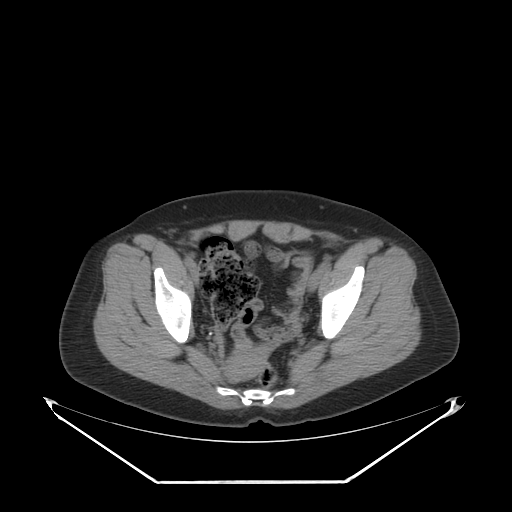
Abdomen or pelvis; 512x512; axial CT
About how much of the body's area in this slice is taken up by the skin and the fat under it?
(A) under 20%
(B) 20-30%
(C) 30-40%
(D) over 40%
Answer: (C) 30-40%
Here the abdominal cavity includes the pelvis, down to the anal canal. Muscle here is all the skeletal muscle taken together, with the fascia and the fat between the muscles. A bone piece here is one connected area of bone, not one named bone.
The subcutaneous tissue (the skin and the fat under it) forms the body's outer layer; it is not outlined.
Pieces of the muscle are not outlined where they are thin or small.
Outlined structures:
abdominal cavity: 257 229; 280 244; 319 237; 323 239; 321 245; 324 248; 345 247; 319 280; 317 296; 320 316; 314 335; 288 360; 283 386; 271 390; 230 385; 218 361; 195 337; 192 318; 194 280; 177 251; 197 239; 214 234; 225 234; 238 243
muscle: 233 219; 289 221; 350 239; 381 235; 401 244; 417 268; 412 288; 421 316; 420 343; 405 359; 376 374; 300 406; 273 411; 260 406; 216 408; 115 367; 99 351; 92 323; 102 292; 101 263; 107 249; 136 233; 170 240; 189 229; inner edge: 257 229; 280 244; 319 237; 324 248; 345 247; 321 275; 320 303; 348 281; 357 265; 365 271; 358 300; 338 333; 324 337; 319 322; 314 335; 288 360; 281 388; 295 392; 277 395; 265 406; 260 400; 246 406; 237 395; 216 391; 217 386; 234 387; 195 337; 192 318; 185 342; 167 331; 155 306; 153 270; 161 267; 169 283; 185 291; 192 303; 194 280; 177 251; 214 234; 238 243
torso: 241 188; 282 188; 318 194; 370 210; 403 230; 432 259; 455 310; 460 329; 455 357; 430 375; 368 405; 333 417; 284 426; 261 420; 245 427; 180 421; 124 404; 74 380; 60 359; 58 329; 78 267; 90 245; 162 203; 200 193
bones 1: 159 266; 163 269; 165 276; 169 283; 171 285; 185 291; 188 294; 192 303; 192 307; 191 308; 191 320; 189 326; 189 333; 188 334; 187 340; 183 343; 177 342; 167 331; 160 318; 160 316; 157 312; 155 306; 153 270; 154 268
bones 2: 357 265; 363 266; 365 270; 364 272; 364 277; 362 282; 362 288; 358 300; 352 312; 338 333; 331 339; 326 338; 324 337; 322 333; 322 330; 320 325; 321 299; 326 293; 334 289; 336 289; 345 284; 350 278; 354 270; 354 268
bones 3: 217 386; 231 387; 240 392; 248 388; 260 388; 274 392; 291 387; 295 389; 295 392; 291 395; 277 395; 269 404; 265 406; 261 405; 262 402; 260 400; 253 400; 251 405; 246 406; 237 395; 222 395; 218 393; 216 391